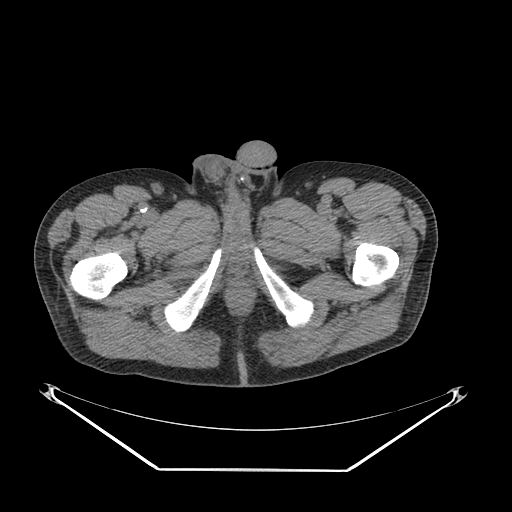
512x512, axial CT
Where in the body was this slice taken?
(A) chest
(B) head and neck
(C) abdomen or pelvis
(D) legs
Answer: (C) abdomen or pelvis
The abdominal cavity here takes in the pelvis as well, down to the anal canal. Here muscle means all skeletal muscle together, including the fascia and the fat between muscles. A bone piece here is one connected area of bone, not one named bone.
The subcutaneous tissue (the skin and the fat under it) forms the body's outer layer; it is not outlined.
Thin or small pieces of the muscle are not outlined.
{"abdominal_cavity":[[[239,279],[242,279],[246,281],[250,285],[251,288],[253,290],[254,297],[253,298],[253,300],[251,302],[251,304],[249,306],[249,308],[247,310],[245,310],[242,312],[237,313],[232,310],[230,307],[228,300],[226,298],[226,292],[229,286],[233,284]]],"muscle":[{"outer":[[342,176],[401,190],[426,219],[401,320],[391,335],[299,366],[271,366],[254,344],[283,317],[258,288],[242,321],[228,312],[222,291],[204,307],[223,254],[219,246],[162,310],[177,333],[196,319],[220,336],[217,367],[108,358],[83,342],[51,267],[47,240],[72,196],[126,183],[168,201],[210,205],[226,250],[222,278],[254,279],[252,250],[275,307],[298,328],[310,320],[315,304],[252,246],[258,213],[277,199]],"holes":[[[109,251],[115,251],[117,252],[126,262],[128,268],[127,275],[113,287],[107,296],[102,299],[94,300],[90,298],[84,297],[77,293],[72,288],[69,283],[69,275],[74,264],[80,259],[89,256],[92,256],[93,255],[97,255],[98,254],[105,253]],[[360,242],[371,242],[376,244],[386,245],[397,252],[399,257],[399,264],[394,275],[391,278],[384,281],[379,285],[374,285],[373,286],[363,286],[362,285],[357,285],[351,280],[350,276],[351,275],[352,264],[353,263],[354,256],[355,255],[355,250]],[[239,279],[242,279],[246,281],[250,285],[251,288],[253,290],[254,297],[253,298],[253,300],[251,302],[251,304],[249,306],[249,308],[247,310],[245,310],[242,312],[237,313],[232,310],[230,307],[228,300],[226,298],[226,292],[229,286],[233,284]]]}],"torso":[[[254,139],[275,148],[279,176],[306,161],[361,162],[394,170],[423,192],[435,213],[438,247],[411,337],[326,374],[264,387],[110,374],[72,359],[55,333],[33,265],[37,229],[54,200],[89,177],[125,168],[165,169],[189,181],[198,155],[233,158]]],"bones":[[[109,251],[115,251],[117,252],[126,262],[128,268],[127,275],[113,287],[107,296],[102,299],[94,300],[90,298],[84,297],[77,293],[72,288],[69,283],[69,275],[74,264],[80,259],[89,256],[92,256],[93,255],[97,255],[98,254],[105,253]],[[219,247],[222,250],[222,254],[219,265],[216,269],[212,280],[209,292],[207,295],[207,299],[203,307],[199,311],[196,318],[188,329],[181,332],[175,331],[171,328],[165,319],[163,310],[164,306],[179,297],[194,280],[206,269],[210,262],[213,252]],[[253,246],[256,246],[260,249],[267,263],[294,291],[297,292],[304,298],[309,299],[313,302],[314,304],[313,312],[309,320],[304,326],[299,326],[298,327],[290,326],[286,322],[283,314],[276,307],[275,303],[270,295],[269,290],[256,264],[252,249]],[[360,242],[371,242],[376,244],[386,245],[397,252],[399,257],[399,264],[394,275],[391,278],[384,281],[379,285],[374,285],[373,286],[363,286],[362,285],[357,285],[351,280],[350,276],[351,275],[352,264],[353,263],[354,256],[355,255],[355,250]]]}